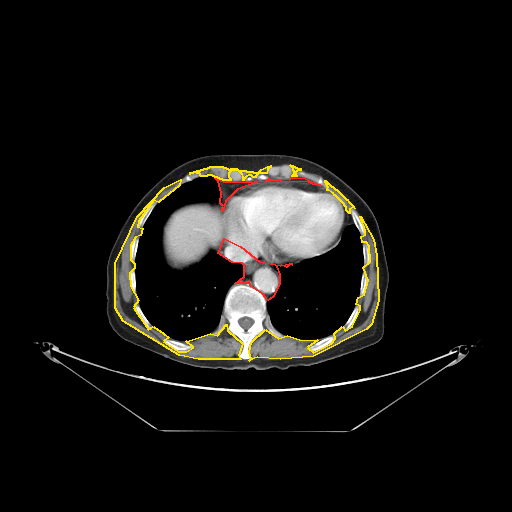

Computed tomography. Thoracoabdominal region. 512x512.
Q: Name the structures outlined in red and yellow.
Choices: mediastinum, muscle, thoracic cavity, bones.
A: red: mediastinum; yellow: muscle.
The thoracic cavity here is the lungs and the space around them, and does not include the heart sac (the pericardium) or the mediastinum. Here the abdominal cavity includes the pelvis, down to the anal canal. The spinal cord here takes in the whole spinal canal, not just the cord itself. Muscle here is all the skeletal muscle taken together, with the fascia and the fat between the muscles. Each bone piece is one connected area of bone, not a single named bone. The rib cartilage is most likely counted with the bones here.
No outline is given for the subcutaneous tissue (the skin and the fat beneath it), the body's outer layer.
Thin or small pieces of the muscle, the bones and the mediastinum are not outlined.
The mediastinum appears in 2 outlined pieces: piece 1: 224 238; 240 246; 259 261; 280 265; 290 263; 292 264; 289 264; 286 267; 281 265; 276 266; 279 274; 279 284; 272 297; 267 300; 263 294; 251 286; 248 281; 246 283; 235 283; 244 276; 244 265; 242 263; 232 262; 218 253; piece 2: 292 177; 305 178; 320 185; 312 184; 308 182; 281 181; 280 180; 256 182; 237 189; 225 201; 222 211; 222 207; 223 206; 220 203; 221 192; 218 181; 215 178; 223 181; 251 182; 256 180; 265 181; 269 178; 289 179. The muscle appears in 6 outlined pieces: piece 1: 180 179; 179 185; 158 202; 153 200; 138 221; 137 226; 142 228; 140 235; 135 237; 130 245; 130 259; 134 263; 134 268; 129 273; 130 286; 138 300; 133 307; 148 329; 153 326; 163 333; 168 337; 163 341; 178 351; 186 351; 193 347; 186 341; 210 333; 217 335; 226 324; 227 330; 242 343; 238 355; 240 359; 198 359; 179 355; 123 321; 115 308; 115 263; 137 216; 164 187; piece 2: 360 216; 373 239; 376 255; 378 300; 371 324; 366 329; 313 356; 280 359; 257 357; 249 360; 251 358; 249 352; 251 342; 265 329; 278 338; 287 335; 299 339; 317 340; 307 347; 313 352; 331 343; 335 338; 334 333; 342 326; 345 330; 352 326; 360 310; 360 306; 356 304; 358 297; 364 294; 368 280; 363 267; 370 261; 369 246; 366 242; 362 242; 361 236; 365 234; 365 230; piece 3: 210 166; 222 166; 223 167; 225 167; 226 168; 227 168; 228 169; 230 169; 231 168; 232 168; 233 169; 237 169; 232 169; 228 173; 228 176; 230 178; 230 180; 223 180; 222 179; 220 179; 219 178; 218 178; 217 177; 215 177; 214 176; 213 176; 212 175; 207 175; 206 176; 201 176; 200 175; 200 174; 199 173; 197 173; 196 172; 193 172; 192 173; 189 173; 190 173; 191 172; 193 172; 194 171; 196 171; 197 170; 200 170; 201 169; 203 169; 204 168; 207 168; 208 167; 209 167; piece 4: 325 180; 331 186; 332 186; 335 189; 336 189; 346 199; 347 199; 348 201; 353 206; 354 208; 352 207; 349 209; 349 213; 346 210; 346 207; 344 205; 344 204; 335 195; 334 195; 333 193; 326 189; 327 189; 328 187; 325 182; piece 5: 267 166; 271 166; 270 166; 267 169; 266 173; 259 173; 257 174; 255 176; 255 177; 253 177; 251 175; 248 175; 246 176; 243 179; 243 180; 243 176; 242 174; 238 170; 245 170; 246 171; 252 171; 253 172; 258 172; 261 169; piece 6: 290 165; 292 165; 293 166; 294 166; 295 167; 296 167; 297 168; 298 168; 299 169; 301 169; 300 169; 299 170; 297 170; 295 172; 295 174; 296 175; 296 176; 292 176; 292 175; 294 173; 294 171; 293 170; 293 168. The abdominal cavity is outlined by 194 202; 213 202; 214 203; 219 202; 221 204; 222 206; 221 207; 221 229; 223 230; 223 240; 221 242; 217 252; 211 250; 197 263; 195 263; 181 270; 173 269; 166 263; 162 252; 162 228; 168 216; 174 210; 185 204; 189 204. The spinal cord is outlined by 243 317; 248 317; 249 318; 250 318; 251 319; 252 319; 252 320; 253 321; 253 322; 252 323; 252 324; 247 329; 244 329; 239 324; 239 319; 240 319; 241 318; 242 318. The pericardium is outlined by 273 181; 299 182; 320 186; 333 194; 343 204; 347 215; 345 226; 341 232; 339 241; 333 248; 299 262; 283 264; 270 263; 255 258; 243 247; 224 237; 224 230; 222 229; 222 212; 226 201; 237 190; 243 187; 256 183. The thoracic cavity appears in 2 outlined pieces: piece 1: 198 177; 214 178; 220 199; 185 203; 167 216; 161 228; 163 259; 171 269; 181 271; 213 251; 232 263; 242 264; 243 276; 227 290; 216 327; 209 333; 182 341; 152 325; 143 312; 137 294; 135 261; 142 229; 156 205; 172 190; piece 2: 352 224; 357 229; 361 238; 363 266; 355 305; 343 325; 333 333; 319 339; 305 339; 282 333; 274 326; 267 311; 267 301; 273 297; 280 284; 280 274; 277 266; 286 268; 289 265; 297 264; 303 260; 328 252; 339 243; 345 229. The torso is outlined by 225 153; 282 153; 308 158; 333 171; 365 200; 377 220; 389 272; 384 333; 377 343; 307 367; 212 370; 164 358; 125 341; 111 328; 106 315; 106 265; 128 214; 146 191; 175 166; 198 156. The bones appear in 15 outlined pieces: piece 1: 247 282; 265 298; 266 311; 271 323; 283 336; 278 337; 265 328; 250 342; 248 347; 250 358; 242 359; 239 355; 243 349; 243 343; 228 330; 226 323; 217 334; 213 335; 212 332; 219 323; 224 300; 230 287; 234 284; 246 284 with a hole at 243 317; 248 317; 249 318; 250 318; 251 319; 252 319; 252 320; 253 321; 253 322; 252 323; 252 324; 247 329; 244 329; 239 324; 239 319; 240 319; 241 318; 242 318; piece 2: 283 165; 289 165; 292 168; 293 173; 289 178; 283 178; 280 175; 278 175; 276 177; 270 176; 265 180; 259 180; 256 178; 254 178; 251 181; 245 181; 244 180; 248 176; 255 178; 259 174; 266 174; 268 169; 272 166; 282 166; piece 3: 165 338; 171 338; 172 339; 174 339; 178 341; 181 341; 187 344; 192 345; 192 347; 186 350; 178 350; 168 345; 164 341; 164 339; piece 4: 332 334; 333 334; 334 335; 334 338; 333 339; 333 340; 327 345; 326 345; 317 350; 314 350; 313 351; 312 350; 310 350; 308 348; 308 347; 311 344; 314 343; 316 341; 317 341; 324 337; 326 337; 329 335; 331 335; piece 5: 300 170; 302 170; 307 173; 312 174; 315 176; 321 176; 323 178; 324 180; 324 182; 327 188; 324 187; 322 185; 321 185; 317 182; 314 182; 310 179; 308 179; 305 177; 301 177; 300 176; 297 176; 296 174; 296 172; piece 6: 352 208; 354 209; 357 212; 361 220; 361 222; 363 226; 363 229; 364 230; 364 234; 363 235; 361 235; 360 234; 358 229; 356 227; 356 226; 354 224; 352 220; 352 218; 350 214; 350 209; piece 7: 153 201; 156 201; 157 202; 157 203; 151 211; 150 214; 148 216; 147 219; 145 221; 143 226; 142 227; 139 227; 138 226; 138 225; 139 224; 139 221; 141 218; 141 216; 143 214; 143 213; 146 209; 146 208; piece 8: 356 305; 358 305; 359 306; 359 310; 358 311; 357 316; 354 320; 354 321; 351 325; 351 326; 348 329; 345 329; 344 328; 344 324; 347 320; 347 319; 349 317; 349 316; 351 314; 354 307; piece 9: 135 304; 138 304; 139 305; 139 306; 140 307; 142 312; 144 314; 144 315; 146 317; 146 318; 149 321; 149 322; 151 324; 151 328; 148 328; 142 322; 142 321; 138 316; 138 315; 136 312; 136 310; 134 307; 134 305; piece 10: 363 271; 364 271; 366 273; 366 275; 367 276; 367 280; 366 281; 366 285; 365 286; 365 289; 364 290; 364 292; 363 293; 363 294; 361 296; 359 296; 359 292; 360 291; 360 284; 361 283; 361 276; 362 275; 362 273; 363 272; piece 11: 137 237; 138 237; 139 238; 139 239; 138 240; 138 244; 137 245; 137 250; 136 251; 136 253; 135 254; 135 260; 134 261; 134 262; 131 259; 131 245; 132 244; 132 242; 133 241; 133 240; 135 238; 136 238; piece 12: 363 243; 366 243; 367 244; 367 245; 368 246; 368 248; 369 249; 369 261; 368 262; 368 263; 366 265; 364 265; 364 260; 363 259; 363 249; 362 248; 362 246; 363 245; piece 13: 232 170; 237 170; 241 174; 241 175; 242 176; 242 180; 241 180; 240 181; 232 181; 231 180; 231 178; 229 176; 229 173; piece 14: 193 173; 196 173; 197 174; 199 174; 199 175; 200 176; 198 176; 197 177; 196 177; 195 178; 194 178; 193 179; 192 179; 189 181; 187 181; 186 182; 184 182; 183 183; 180 184; 180 182; 181 181; 182 178; 186 174; 192 174; piece 15: 133 269; 134 269; 134 271; 135 272; 135 286; 136 287; 136 292; 134 292; 133 291; 133 290; 132 289; 132 287; 131 286; 131 280; 130 279; 130 273; 131 272; 131 270; 132 270.